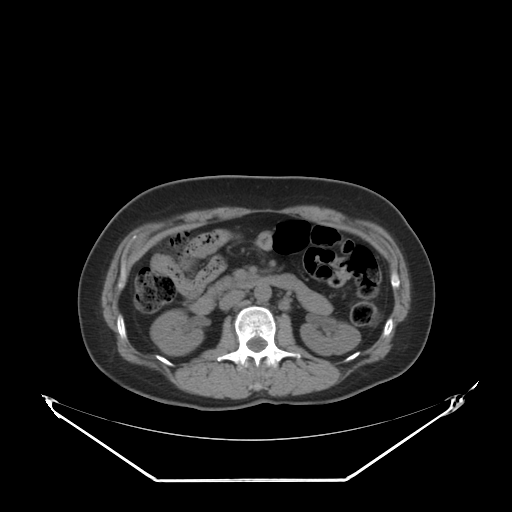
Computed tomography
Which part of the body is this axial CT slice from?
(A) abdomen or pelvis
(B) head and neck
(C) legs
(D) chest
(A) abdomen or pelvis
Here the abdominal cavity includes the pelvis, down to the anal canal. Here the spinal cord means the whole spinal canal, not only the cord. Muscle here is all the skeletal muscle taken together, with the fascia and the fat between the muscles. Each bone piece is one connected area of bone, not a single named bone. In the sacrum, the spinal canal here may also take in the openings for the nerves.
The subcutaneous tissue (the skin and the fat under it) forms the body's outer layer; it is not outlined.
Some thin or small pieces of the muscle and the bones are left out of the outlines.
The muscle is outlined by 295 205; 317 205; 334 209; 343 213; 352 219; 363 219; 375 222; 383 227; 391 235; 394 240; 403 248; 404 258; 408 270; 408 276; 410 281; 410 304; 406 317; 396 327; 392 346; 383 358; 377 361; 367 363; 360 366; 339 383; 323 390; 314 391; 299 395; 287 395; 286 396; 272 396; 265 391; 256 391; 245 398; 232 399; 226 397; 220 399; 190 394; 182 391; 178 389; 163 374; 157 370; 132 363; 124 359; 119 354; 116 345; 115 333; 107 325; 103 317; 101 305; 101 294; 105 278; 113 256; 121 241; 130 231; 146 222; 164 220; 172 216; 192 210; 208 209; 223 206; 238 206; 253 209; 256 208; 281 209, around a hole outlined by 253 213; 286 214; 327 225; 356 235; 377 250; 389 273; 396 271; 399 278; 399 286; 392 289; 390 333; 384 337; 381 333; 349 361; 331 361; 298 345; 290 316; 281 312; 273 317; 275 344; 300 357; 284 357; 276 367; 264 359; 258 366; 251 358; 246 366; 216 359; 239 345; 229 314; 215 347; 174 366; 123 339; 117 329; 123 289; 118 281; 127 245; 127 278; 132 266; 162 238. The torso is outlined by 222 174; 314 176; 348 181; 379 193; 402 213; 427 253; 435 282; 429 335; 420 355; 406 371; 334 402; 261 403; 240 409; 207 411; 142 396; 118 385; 96 367; 84 346; 77 314; 78 281; 95 240; 114 214; 140 192; 176 179. The abdominal cavity is outlined by 253 213; 286 214; 337 228; 383 256; 389 265; 393 307; 377 339; 331 361; 296 343; 287 313; 274 316; 267 307; 252 304; 240 309; 233 321; 226 315; 215 347; 189 361; 174 363; 138 350; 128 338; 119 308; 132 266; 170 234. The bones appear in 6 outlined pieces: piece 1: 252 305; 265 307; 271 312; 276 324; 275 344; 280 349; 299 353; 299 358; 284 357; 276 367; 267 365; 264 359; 258 366; 251 358; 247 360; 246 366; 240 366; 228 359; 220 361; 216 359; 218 356; 238 348; 234 319; 240 310 with a hole at 254 337; 260 337; 262 339; 263 339; 266 342; 266 345; 265 346; 265 347; 259 351; 254 351; 253 350; 252 350; 251 349; 250 349; 248 347; 248 346; 247 345; 247 342; 250 339; 251 339; piece 2: 127 245; 128 245; 128 248; 124 256; 124 260; 125 261; 125 273; 126 274; 126 279; 125 280; 125 284; 124 286; 122 288; 120 288; 118 287; 118 281; 120 277; 121 261; 122 260; 122 256; 123 255; 124 250; 127 246; piece 3: 119 314; 121 314; 123 317; 123 320; 124 321; 124 325; 125 326; 125 330; 126 331; 126 335; 127 336; 127 337; 126 338; 126 339; 123 339; 120 336; 120 335; 118 332; 118 330; 117 329; 117 318; 118 317; 118 315; piece 4: 389 317; 390 317; 392 319; 392 321; 393 322; 393 326; 392 327; 392 329; 391 330; 390 333; 387 336; 385 336; 384 337; 382 334; 382 332; 383 331; 383 329; 384 328; 384 325; 385 324; 385 323; 386 322; 387 319; piece 5: 155 355; 159 355; 160 356; 162 356; 163 357; 164 357; 166 359; 169 360; 172 363; 173 363; 174 364; 174 366; 169 366; 168 365; 165 364; 163 362; 162 362; 160 360; 159 360; 157 358; 156 358; piece 6: 357 351; 359 351; 360 352; 359 353; 359 354; 356 357; 355 357; 353 359; 352 359; 349 361; 347 361; 346 362; 345 361; 344 361; 344 359; 345 358; 346 358; 348 356; 349 356; 351 354; 352 354; 353 353; 354 353. The spinal cord is outlined by 254 337; 260 337; 262 339; 263 339; 266 342; 266 345; 265 346; 265 347; 259 351; 254 351; 253 350; 252 350; 251 349; 250 349; 248 347; 248 346; 247 345; 247 342; 250 339; 251 339.